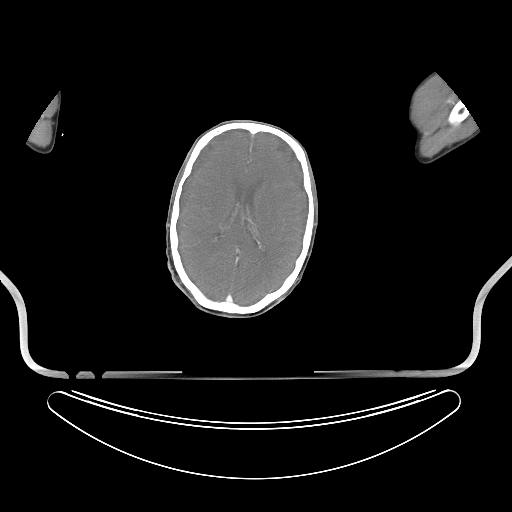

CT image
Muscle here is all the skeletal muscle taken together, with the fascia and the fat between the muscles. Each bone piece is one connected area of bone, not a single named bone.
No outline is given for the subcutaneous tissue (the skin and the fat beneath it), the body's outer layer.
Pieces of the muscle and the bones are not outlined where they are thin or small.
The head is outlined by (229, 119) (256, 120) (275, 124) (297, 138) (309, 156) (315, 176) (319, 204) (319, 222) (315, 243) (301, 282) (279, 304) (267, 312) (251, 318) (221, 317) (205, 313) (194, 307) (172, 281) (165, 254) (164, 224) (172, 184) (178, 169) (192, 142) (200, 133) (218, 122). The bones appear in 2 outlined pieces: piece 1: (235, 120) (255, 120) (271, 124) (290, 134) (301, 144) (309, 162) (311, 193) (314, 206) (314, 224) (309, 249) (294, 282) (279, 298) (263, 308) (250, 313) (230, 313) (210, 309) (198, 303) (182, 283) (175, 270) (169, 242) (172, 204) (188, 153) (206, 131) (215, 126) with a hole at (237, 129) (245, 130) (251, 135) (259, 132) (269, 133) (287, 144) (299, 163) (302, 187) (307, 198) (301, 248) (292, 269) (278, 287) (249, 304) (235, 302) (230, 294) (222, 300) (212, 299) (198, 287) (184, 267) (179, 251) (177, 231) (183, 186) (198, 156) (213, 138); piece 2: (458, 99) (461, 100) (463, 102) (463, 103) (465, 104) (465, 105) (469, 110) (469, 112) (470, 113) (469, 114) (469, 116) (465, 118) (458, 124) (456, 125) (454, 125) (453, 124) (451, 124) (448, 121) (448, 116) (453, 106) (456, 103). The right arm is outlined by (60, 90) (61, 91) (61, 107) (59, 112) (59, 119) (57, 126) (57, 133) (55, 139) (55, 144) (53, 149) (49, 153) (46, 154) (37, 153) (26, 146) (26, 141) (28, 139) (36, 122) (38, 121) (44, 110) (46, 109) (48, 104) (50, 103) (54, 96). The left arm is outlined by (432, 71) (436, 72) (445, 81) (457, 97) (465, 104) (473, 119) (477, 124) (480, 132) (479, 134) (468, 142) (449, 152) (437, 160) (427, 164) (422, 164) (416, 161) (413, 155) (415, 132) (408, 122) (407, 119) (407, 108) (410, 96) (414, 88) (425, 76). The brain is outlined by (237, 129) (245, 130) (251, 135) (259, 132) (269, 133) (287, 144) (299, 163) (302, 187) (307, 198) (301, 248) (292, 269) (278, 287) (249, 304) (235, 302) (230, 294) (222, 300) (212, 299) (198, 287) (184, 267) (179, 251) (177, 231) (183, 186) (198, 156) (213, 138). The muscle appears in 3 outlined pieces: piece 1: (438, 74) (459, 98) (452, 106) (447, 116) (447, 121) (451, 125) (456, 126) (469, 117) (471, 114) (477, 124) (477, 127) (469, 136) (446, 146) (430, 157) (425, 157) (422, 156) (419, 152) (419, 144) (422, 133) (412, 117) (412, 104) (414, 96) (418, 89) (429, 78); piece 2: (56, 94) (57, 96) (57, 107) (54, 114) (51, 118) (52, 120) (52, 133) (51, 134) (51, 140) (50, 141) (50, 143) (46, 147) (40, 147) (32, 143) (29, 140) (29, 136) (36, 122) (38, 121) (41, 115) (43, 113) (44, 110) (46, 109) (48, 104) (50, 103); piece 3: (183, 167) (183, 169) (182, 170) (182, 173) (179, 178) (179, 180) (177, 183) (177, 185) (176, 186) (176, 188) (174, 192) (174, 195) (173, 196) (173, 199) (172, 203) (172, 199) (173, 198) (173, 195) (174, 194) (174, 190) (175, 189) (175, 186) (177, 183) (179, 175).